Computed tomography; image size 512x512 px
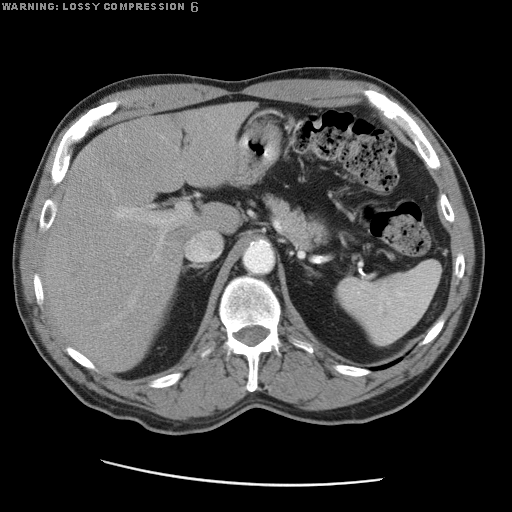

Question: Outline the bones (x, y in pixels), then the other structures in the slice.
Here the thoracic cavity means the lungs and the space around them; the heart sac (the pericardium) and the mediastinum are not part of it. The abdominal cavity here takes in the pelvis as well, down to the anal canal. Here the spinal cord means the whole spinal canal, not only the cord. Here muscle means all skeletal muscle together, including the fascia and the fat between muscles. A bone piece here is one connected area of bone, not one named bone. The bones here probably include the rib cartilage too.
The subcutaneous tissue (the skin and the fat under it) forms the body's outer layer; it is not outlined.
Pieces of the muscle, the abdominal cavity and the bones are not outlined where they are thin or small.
Answer: {"bones":[{"outer":[[244,275],[265,281],[276,295],[281,308],[277,325],[281,354],[278,356],[273,350],[260,354],[258,387],[250,392],[246,389],[249,372],[247,359],[244,355],[236,353],[232,353],[226,359],[223,344],[227,334],[218,315],[220,298],[226,285],[233,278]],"hole":[[251,326],[261,326],[268,330],[268,334],[261,341],[260,341],[258,343],[257,343],[254,345],[248,345],[247,344],[246,344],[245,343],[238,340],[235,337],[235,333],[236,333],[238,331],[239,331],[242,328],[244,328],[245,327],[250,327]]},[[114,100],[119,100],[120,101],[120,103],[116,109],[109,115],[101,118],[95,125],[92,126],[87,131],[82,138],[73,143],[69,147],[71,155],[65,174],[62,180],[58,184],[53,185],[51,182],[51,169],[56,150],[64,133],[74,122],[90,108]],[[365,89],[372,89],[386,95],[391,100],[398,103],[412,117],[419,126],[422,132],[434,149],[440,162],[440,167],[439,168],[433,169],[424,161],[420,155],[413,140],[407,134],[402,127],[391,118],[379,111],[368,101],[366,97],[362,93],[362,90]],[[48,198],[50,198],[51,199],[52,199],[57,203],[57,210],[56,211],[55,216],[53,219],[53,221],[52,222],[51,225],[46,230],[43,231],[39,228],[39,218],[40,217],[40,213],[41,212],[42,207],[44,204],[44,202],[45,201],[45,200]],[[336,364],[346,364],[347,365],[351,365],[352,366],[357,366],[358,367],[362,367],[363,368],[368,368],[371,371],[371,372],[368,374],[366,374],[365,375],[361,375],[360,376],[352,376],[351,375],[342,374],[341,373],[338,372],[333,367],[333,366]],[[175,372],[181,372],[182,373],[182,376],[176,383],[175,383],[172,385],[170,385],[169,386],[166,386],[165,387],[150,387],[148,385],[148,382],[149,382],[150,381],[155,380],[158,378],[163,377],[166,375],[168,375],[171,373],[174,373]],[[67,346],[70,346],[72,348],[75,349],[77,351],[81,353],[84,356],[85,356],[95,366],[97,370],[94,370],[93,369],[90,369],[89,368],[87,368],[81,365],[75,360],[74,360],[66,352],[65,350],[65,348]],[[440,317],[442,317],[444,319],[444,323],[439,333],[434,338],[434,339],[433,339],[431,341],[425,344],[423,344],[422,345],[419,345],[419,342],[420,342],[423,339],[423,338],[425,336],[427,332],[430,329],[430,328],[438,320],[438,319]],[[440,193],[444,193],[446,195],[450,203],[450,205],[452,208],[452,210],[454,214],[454,220],[452,222],[450,222],[446,220],[444,216],[443,211],[439,203],[439,194]],[[35,273],[37,273],[39,275],[41,279],[41,284],[42,285],[42,288],[43,289],[43,296],[44,297],[44,299],[43,300],[43,303],[41,306],[40,306],[37,303],[36,301],[36,297],[35,296],[35,291],[34,290],[34,284],[33,283],[33,276]],[[289,336],[291,336],[296,339],[298,339],[299,340],[301,340],[302,341],[309,342],[312,345],[312,346],[313,347],[313,352],[312,353],[310,353],[302,348],[300,348],[299,347],[297,347],[296,346],[295,346],[289,341],[289,340],[288,339]]],"abdominal_cavity":[[[236,94],[313,106],[373,106],[429,171],[453,267],[443,311],[403,356],[371,367],[342,363],[290,322],[265,280],[247,274],[225,285],[217,313],[209,316],[195,348],[152,376],[122,379],[106,373],[60,334],[44,296],[42,248],[76,143],[128,118]]],"spinal_cord":[[[251,326],[261,326],[268,330],[268,334],[261,341],[260,341],[258,343],[257,343],[254,345],[248,345],[247,344],[246,344],[245,343],[238,340],[235,337],[235,333],[236,333],[238,331],[239,331],[242,328],[244,328],[245,327],[250,327]]],"torso":[[[302,66],[354,69],[390,83],[418,107],[455,156],[472,192],[485,244],[481,292],[463,339],[413,401],[364,423],[321,425],[251,408],[212,430],[170,435],[85,405],[34,347],[18,315],[12,282],[16,224],[56,125],[91,92],[134,75],[241,80]]],"thoracic_cavity":[[[400,357],[402,357],[399,361],[385,368],[382,368],[381,369],[376,369],[375,370],[371,370],[369,368],[371,368],[372,367],[375,367],[376,366],[380,366],[381,365],[386,364]]],"muscle":[[[292,78],[333,78],[373,83],[416,115],[437,140],[452,166],[469,216],[475,254],[469,293],[463,301],[457,325],[447,345],[426,369],[368,399],[317,411],[304,410],[261,391],[255,391],[259,387],[258,370],[261,354],[272,351],[278,357],[282,354],[280,350],[282,342],[278,331],[282,312],[309,341],[289,335],[287,339],[291,344],[310,354],[314,352],[312,344],[315,344],[341,363],[332,366],[338,373],[352,377],[365,376],[399,362],[418,342],[418,345],[422,346],[435,339],[445,323],[441,315],[448,301],[453,268],[453,273],[458,279],[465,273],[465,257],[461,251],[456,254],[453,264],[450,233],[439,212],[439,204],[445,220],[450,223],[455,220],[447,195],[439,192],[423,161],[398,138],[380,113],[401,127],[412,140],[423,161],[433,170],[441,167],[440,159],[413,117],[398,102],[372,88],[361,90],[371,105],[363,102],[313,105],[236,93],[138,114],[87,133],[101,119],[113,113],[121,103],[119,99],[114,99],[90,107],[104,96],[117,91],[169,83],[199,83],[236,91],[263,81]],{"outer":[[88,108],[63,133],[53,156],[50,182],[56,186],[63,181],[63,187],[58,201],[46,198],[39,213],[38,228],[47,233],[41,278],[37,272],[32,276],[35,301],[41,307],[45,300],[67,344],[64,350],[74,361],[122,380],[141,380],[175,367],[196,348],[210,316],[217,314],[226,334],[225,359],[242,355],[248,367],[249,392],[224,410],[179,420],[103,396],[72,379],[34,328],[19,268],[22,235],[56,138]],"holes":[[[175,372],[181,372],[182,373],[182,376],[176,383],[175,383],[172,385],[170,385],[169,386],[166,386],[165,387],[150,387],[148,385],[148,382],[149,382],[150,381],[155,380],[158,378],[163,377],[166,375],[168,375],[171,373],[174,373]],[[209,347],[213,347],[213,349],[212,350],[212,351],[210,353],[209,353],[207,355],[206,355],[204,357],[201,357],[201,356],[200,355],[201,354],[201,353],[204,350],[205,350],[207,348],[208,348]]]}]}